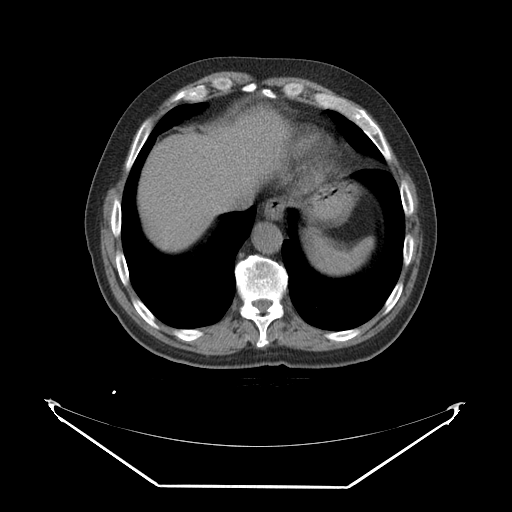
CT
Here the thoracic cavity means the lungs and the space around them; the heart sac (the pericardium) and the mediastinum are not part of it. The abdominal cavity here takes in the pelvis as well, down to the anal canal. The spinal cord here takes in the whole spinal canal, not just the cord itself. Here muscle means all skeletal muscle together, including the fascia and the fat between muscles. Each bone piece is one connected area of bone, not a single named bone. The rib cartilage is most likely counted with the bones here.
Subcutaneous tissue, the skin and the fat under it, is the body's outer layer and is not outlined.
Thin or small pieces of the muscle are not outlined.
{"spinal_cord":[[[260,299],[266,299],[267,300],[269,300],[271,302],[271,303],[270,304],[270,305],[266,309],[266,310],[265,311],[265,312],[264,313],[262,313],[253,304],[253,303],[254,302],[254,301],[256,301],[257,300],[259,300]]],"mediastinum":[[[281,180],[293,194],[299,196],[307,195],[300,205],[298,211],[293,208],[289,208],[286,211],[285,227],[287,238],[281,245],[283,264],[258,253],[250,253],[236,262],[237,253],[250,234],[254,223],[256,214],[256,201],[267,192],[273,190],[281,182]],[[281,95],[325,109],[324,112],[352,148],[359,152],[365,152],[383,164],[387,163],[389,170],[380,167],[363,169],[353,174],[353,176],[358,179],[334,177],[341,171],[344,159],[342,144],[334,130],[326,120],[317,114],[300,112],[295,116],[276,98]],[[235,89],[248,93],[257,92],[261,94],[254,95],[246,99],[229,115],[220,121],[210,126],[204,127],[197,126],[186,130],[179,127],[170,128],[188,118],[191,118],[193,116],[200,114],[208,106],[208,103],[206,101],[204,101],[205,100],[221,96]]],"abdominal_cavity":[[[259,95],[275,98],[294,116],[292,120],[293,148],[280,182],[247,209],[222,215],[206,241],[191,251],[179,255],[167,255],[158,251],[142,232],[135,200],[142,166],[156,138],[166,130],[173,128],[186,131],[197,127],[210,127],[229,116],[246,100]],[[333,178],[359,180],[370,188],[379,200],[383,210],[385,224],[383,243],[381,248],[377,251],[377,254],[373,261],[363,271],[343,278],[326,277],[310,267],[300,248],[297,234],[297,224],[299,219],[298,212],[301,205],[308,195],[312,194],[318,187]]],"bones":[{"outer":[[250,254],[258,254],[283,265],[288,276],[287,292],[281,300],[284,312],[283,315],[282,317],[274,319],[268,325],[266,329],[268,343],[262,347],[256,345],[259,338],[259,329],[251,319],[241,316],[239,309],[242,305],[242,301],[236,294],[235,264]],"hole":[[260,299],[266,299],[267,300],[269,300],[271,302],[271,303],[270,304],[270,305],[266,309],[266,310],[265,311],[265,312],[264,313],[262,313],[253,304],[253,303],[254,302],[254,301],[256,301],[257,300],[259,300]]},[[316,92],[330,93],[336,96],[339,96],[345,99],[350,104],[358,108],[365,110],[366,113],[380,128],[383,133],[383,135],[391,153],[391,159],[389,161],[387,161],[372,140],[353,121],[336,110],[330,108],[323,108],[317,105],[312,97],[312,95]],[[148,118],[149,118],[151,120],[153,127],[151,131],[147,136],[141,148],[139,150],[129,171],[127,171],[125,168],[125,165],[126,164],[126,161],[128,158],[128,156],[130,153],[130,150],[131,149],[134,138],[141,124],[144,121],[144,120]],[[199,84],[204,84],[206,85],[209,91],[206,97],[206,99],[205,99],[203,101],[198,101],[197,102],[188,102],[181,99],[175,102],[169,102],[171,98],[173,97],[179,91],[183,90],[184,89],[187,89],[194,86],[196,86]],[[115,197],[117,197],[120,199],[120,204],[121,205],[121,228],[120,229],[120,235],[119,236],[117,236],[116,237],[114,235],[114,234],[112,231],[112,229],[111,228],[111,211],[112,210],[112,207],[113,206],[113,201],[114,200],[114,198]],[[402,180],[404,180],[407,183],[409,191],[411,194],[412,201],[413,202],[413,212],[410,215],[408,215],[407,216],[406,216],[404,213],[404,210],[403,209],[403,206],[402,205],[402,201],[401,200],[401,196],[400,195],[400,191],[399,190],[399,186]],[[132,298],[138,298],[144,304],[144,305],[153,314],[153,315],[155,317],[155,322],[158,325],[159,328],[155,328],[154,327],[151,326],[147,322],[146,322],[142,318],[142,317],[138,313],[138,312],[134,307],[134,306],[133,305],[133,303],[132,302]],[[117,250],[121,250],[123,252],[123,254],[125,258],[125,261],[126,262],[126,265],[127,266],[127,269],[129,274],[129,282],[126,285],[124,285],[122,283],[118,274],[117,266],[116,265],[116,261],[115,260],[115,256],[116,255],[116,251]],[[353,328],[358,328],[359,330],[359,333],[352,338],[350,338],[349,339],[347,339],[343,341],[336,341],[335,340],[332,340],[331,339],[329,339],[325,337],[324,335],[325,333],[327,333],[328,332],[342,331],[343,330],[347,330],[348,329],[352,329]],[[397,282],[401,282],[403,284],[402,291],[401,292],[397,301],[392,307],[392,308],[387,313],[386,313],[385,314],[383,314],[383,306],[384,305],[386,300],[388,298],[388,297],[390,295],[391,292],[393,290],[393,289],[394,288],[395,285],[397,283]],[[175,328],[176,328],[177,329],[198,329],[199,330],[200,330],[203,333],[203,334],[201,336],[200,336],[199,337],[198,337],[193,340],[190,340],[189,341],[186,341],[185,340],[182,340],[180,338],[177,337],[175,335],[174,335],[173,334],[173,331]],[[290,82],[297,82],[298,83],[302,83],[304,85],[304,90],[303,91],[303,92],[301,94],[298,95],[294,98],[290,98],[289,97],[286,96],[283,93],[283,92],[282,91],[282,88],[283,87],[283,86],[285,84],[286,84],[287,83],[289,83]],[[406,234],[410,234],[411,235],[411,236],[412,237],[412,238],[413,239],[413,249],[412,250],[412,255],[411,256],[411,259],[410,260],[410,262],[409,263],[409,264],[407,266],[405,266],[403,264],[403,246],[404,245],[404,239],[405,238],[405,235]],[[217,77],[227,77],[228,78],[229,78],[232,81],[232,82],[233,83],[233,85],[227,91],[222,91],[221,90],[218,90],[217,89],[215,89],[214,88],[213,88],[210,85],[210,83],[211,82],[211,81],[214,78],[216,78]],[[252,82],[254,82],[256,84],[256,85],[257,86],[256,87],[256,89],[254,91],[252,91],[251,92],[248,92],[247,91],[243,91],[242,90],[241,90],[241,88],[244,85],[246,85],[247,84],[248,84],[249,83],[251,83]],[[263,88],[269,88],[270,89],[271,89],[276,94],[276,97],[275,97],[274,98],[272,98],[271,97],[268,97],[267,96],[266,96],[265,95],[264,95],[263,94],[262,94],[261,93],[261,89],[262,89]]],"muscle":[[[384,133],[415,185],[420,200],[423,240],[418,273],[408,299],[395,317],[373,336],[354,345],[326,351],[270,347],[251,348],[234,354],[205,355],[170,346],[149,334],[116,300],[105,274],[101,254],[101,214],[105,194],[118,173],[135,134],[124,165],[128,174],[121,200],[115,196],[112,201],[110,228],[113,235],[116,238],[120,236],[121,239],[122,250],[117,249],[114,256],[118,277],[124,286],[131,284],[137,295],[131,298],[132,305],[146,323],[159,329],[157,319],[174,328],[172,334],[177,338],[186,342],[193,341],[204,334],[198,328],[214,324],[225,315],[236,295],[241,301],[239,314],[255,324],[258,329],[255,345],[262,348],[269,343],[269,325],[284,315],[282,300],[287,293],[292,306],[306,323],[330,331],[324,333],[325,338],[343,342],[357,336],[360,333],[359,326],[382,308],[382,314],[387,314],[398,301],[404,287],[398,281],[402,266],[410,264],[414,249],[412,235],[405,232],[405,216],[414,212],[412,194],[408,183],[402,179],[398,185],[390,171],[387,162],[392,159],[392,153]],{"outer":[[218,71],[245,72],[255,78],[268,78],[282,76],[305,78],[330,89],[335,93],[357,103],[363,108],[350,103],[345,98],[339,95],[324,91],[316,91],[311,95],[316,105],[295,99],[301,95],[305,90],[305,85],[302,82],[297,81],[290,81],[285,83],[282,86],[281,91],[284,95],[281,94],[277,95],[269,87],[261,88],[260,92],[255,91],[258,86],[254,81],[252,81],[244,84],[240,89],[235,88],[221,95],[209,98],[207,98],[210,92],[208,86],[204,83],[199,83],[196,85],[181,89],[172,96],[168,101],[169,103],[175,103],[181,100],[185,102],[179,103],[169,109],[154,125],[152,120],[149,117],[146,118],[165,99],[183,86],[206,75]],"hole":[[217,77],[227,77],[228,78],[229,78],[232,81],[232,82],[233,83],[233,85],[227,91],[222,91],[221,90],[218,90],[217,89],[215,89],[214,88],[213,88],[210,85],[210,83],[211,82],[211,81],[214,78],[216,78]]},[[366,110],[376,120],[376,121],[378,123],[378,124],[380,126],[380,127],[372,119],[372,118],[367,113],[367,112],[366,111]]],"pericardium":[[[300,113],[308,113],[317,115],[326,121],[333,130],[341,144],[341,150],[343,155],[340,171],[330,180],[318,186],[312,193],[310,194],[303,194],[302,195],[293,193],[282,180],[284,170],[291,157],[295,143],[295,129],[293,120],[296,115]]],"torso":[[[224,55],[306,58],[346,69],[383,95],[418,150],[436,210],[434,259],[411,319],[387,348],[369,360],[333,368],[290,368],[281,364],[217,369],[175,362],[134,340],[101,294],[86,245],[84,211],[96,167],[117,121],[131,101],[162,75],[198,59]]],"thoracic_cavity":[[[186,102],[206,102],[205,109],[160,133],[139,172],[134,200],[143,236],[164,255],[183,255],[205,243],[222,216],[255,206],[251,229],[235,256],[232,303],[218,321],[197,328],[164,323],[138,297],[130,282],[121,238],[121,201],[129,172],[158,121]],[[376,168],[393,176],[404,214],[398,279],[382,307],[357,327],[331,331],[314,326],[300,316],[288,295],[289,276],[282,256],[288,238],[287,211],[293,209],[298,214],[297,240],[310,268],[330,279],[361,273],[382,248],[386,224],[375,192],[354,174]],[[326,109],[330,109],[340,113],[346,118],[357,125],[375,145],[380,153],[383,156],[384,159],[386,161],[386,163],[381,162],[378,159],[369,155],[365,151],[359,151],[352,147],[346,139],[340,133],[337,126],[331,118],[325,112],[325,110]]]}